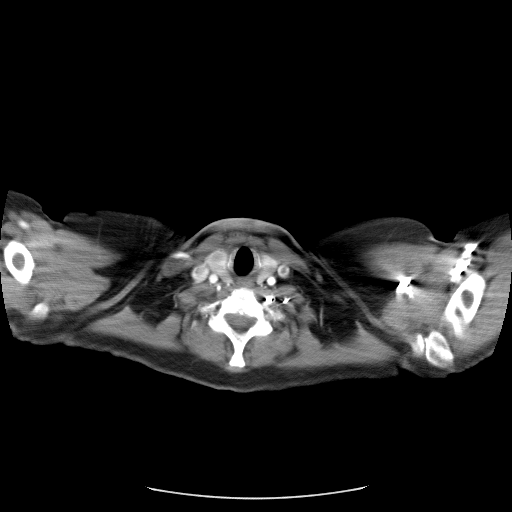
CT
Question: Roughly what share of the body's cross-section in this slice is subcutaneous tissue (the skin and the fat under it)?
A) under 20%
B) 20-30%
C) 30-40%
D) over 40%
Answer: C) 30-40%
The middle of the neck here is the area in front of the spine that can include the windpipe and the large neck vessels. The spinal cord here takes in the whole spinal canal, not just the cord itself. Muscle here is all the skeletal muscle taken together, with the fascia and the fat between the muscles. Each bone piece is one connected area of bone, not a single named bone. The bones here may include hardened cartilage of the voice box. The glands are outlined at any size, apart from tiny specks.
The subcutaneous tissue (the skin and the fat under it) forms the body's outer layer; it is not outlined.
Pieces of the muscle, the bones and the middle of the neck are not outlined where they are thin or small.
{"right_arm":[[[10,189],[15,189],[31,196],[39,202],[45,213],[51,218],[58,220],[72,254],[77,261],[88,291],[88,293],[83,297],[83,306],[80,312],[38,326],[29,326],[7,320],[6,307],[0,290],[0,236],[3,225],[2,222],[4,208],[7,195]]],"muscle":[{"outer":[[10,209],[33,212],[56,229],[97,239],[120,254],[106,270],[114,284],[96,304],[99,313],[127,303],[177,253],[222,230],[279,238],[373,322],[381,288],[366,271],[366,253],[381,243],[424,240],[446,248],[464,238],[485,249],[510,232],[511,280],[499,333],[453,369],[436,367],[451,364],[454,354],[443,331],[432,328],[405,340],[434,366],[395,359],[231,373],[191,354],[87,332],[86,321],[7,316],[0,236]],"holes":[[[240,244],[289,268],[271,285],[246,286],[285,316],[271,322],[271,333],[253,336],[246,343],[241,368],[229,365],[231,341],[213,331],[207,325],[208,316],[198,309],[223,299],[235,287],[191,276],[192,269],[207,263],[214,250],[228,253]],[[472,270],[477,271],[483,276],[486,282],[486,286],[484,290],[485,293],[481,299],[473,319],[466,330],[466,336],[465,338],[463,339],[457,339],[452,335],[448,334],[444,328],[439,326],[439,317],[448,300],[448,298],[467,276],[470,271]],[[12,239],[15,239],[20,242],[22,242],[26,244],[26,246],[31,252],[33,259],[35,262],[35,269],[33,272],[32,278],[29,284],[25,286],[21,285],[14,279],[6,268],[4,263],[4,258],[3,257],[3,248],[6,245],[6,244]],[[41,301],[45,301],[48,304],[48,305],[49,306],[49,312],[47,314],[47,315],[45,317],[44,317],[43,318],[34,318],[33,317],[32,317],[30,315],[30,314],[29,313],[30,312],[30,311],[32,309],[32,308],[37,303],[38,303]]]}],"left_arm":[[[502,207],[505,207],[506,209],[511,234],[511,280],[509,285],[507,301],[505,304],[505,309],[497,340],[493,350],[473,349],[469,347],[460,346],[445,337],[426,323],[434,278],[442,244],[443,241],[449,241],[454,236],[458,229],[466,221],[485,215]]],"spinal_cord":[[[228,314],[238,314],[239,315],[244,315],[247,317],[249,317],[250,318],[253,318],[254,319],[254,321],[253,323],[249,327],[247,328],[247,329],[246,329],[244,331],[239,332],[237,331],[234,328],[233,328],[227,321],[227,319],[226,318],[226,315]]],"thyroid_glands":[[[216,249],[217,250],[223,250],[227,254],[227,271],[231,278],[231,281],[227,284],[226,283],[225,283],[222,279],[222,278],[212,269],[212,268],[210,266],[210,265],[207,261],[208,256],[210,254],[210,253],[211,253],[214,250],[215,250]],[[263,253],[265,254],[267,254],[271,256],[273,258],[275,258],[278,261],[278,263],[277,264],[277,268],[273,272],[272,272],[263,282],[258,284],[257,283],[257,280],[256,279],[256,277],[261,269],[261,266],[262,265],[262,260],[261,259],[261,257]]],"bones":[{"outer":[[241,286],[253,289],[260,301],[279,309],[285,316],[280,321],[271,322],[271,333],[253,336],[246,343],[242,353],[245,365],[239,368],[228,363],[233,353],[231,341],[225,334],[215,332],[207,325],[208,316],[201,313],[198,307],[223,299],[233,288]],"hole":[[228,314],[238,314],[239,315],[244,315],[247,317],[249,317],[250,318],[253,318],[254,319],[254,321],[253,323],[249,327],[247,328],[247,329],[246,329],[244,331],[239,332],[237,331],[234,328],[233,328],[227,321],[227,319],[226,318],[226,315]]},[[472,270],[477,271],[483,276],[486,282],[486,286],[484,290],[485,293],[481,299],[473,319],[466,330],[466,336],[465,338],[463,339],[457,339],[452,335],[448,334],[444,328],[439,326],[439,317],[448,300],[448,298],[467,276],[470,271]],[[432,329],[439,329],[442,331],[446,336],[446,338],[450,346],[450,349],[453,354],[453,361],[451,363],[447,363],[442,366],[435,366],[429,363],[426,360],[425,356],[423,354],[417,356],[412,352],[410,346],[406,340],[418,332],[420,332],[425,336]],[[12,239],[15,239],[20,242],[22,242],[26,244],[26,246],[31,252],[33,259],[35,262],[35,269],[33,272],[32,278],[29,284],[25,286],[21,285],[14,279],[6,268],[4,263],[4,258],[3,257],[3,248],[6,245],[6,244]],[[41,301],[45,301],[48,304],[48,305],[49,306],[49,312],[47,314],[47,315],[45,317],[44,317],[43,318],[34,318],[33,317],[32,317],[30,315],[30,314],[29,313],[30,312],[30,311],[32,309],[32,308],[37,303],[38,303]]],"torso":[[[97,209],[154,215],[189,235],[222,218],[253,217],[279,224],[304,247],[310,235],[340,224],[415,218],[442,241],[425,323],[460,347],[493,351],[444,379],[403,371],[239,393],[107,352],[17,340],[7,321],[38,327],[83,310],[89,291],[59,221]]],"middle_of_the_neck":[[[240,244],[250,246],[259,253],[264,252],[261,254],[260,269],[255,277],[256,283],[257,284],[258,285],[259,285],[260,284],[263,283],[278,268],[278,264],[285,264],[289,268],[287,274],[283,277],[276,277],[271,285],[267,284],[261,285],[256,285],[255,284],[248,284],[236,285],[235,287],[226,285],[232,281],[228,271],[227,253]],[[206,263],[207,263],[209,265],[211,269],[216,274],[217,274],[223,281],[218,281],[217,283],[214,284],[209,281],[197,281],[193,278],[192,278],[191,276],[191,271],[192,269],[195,267],[198,267]]]}